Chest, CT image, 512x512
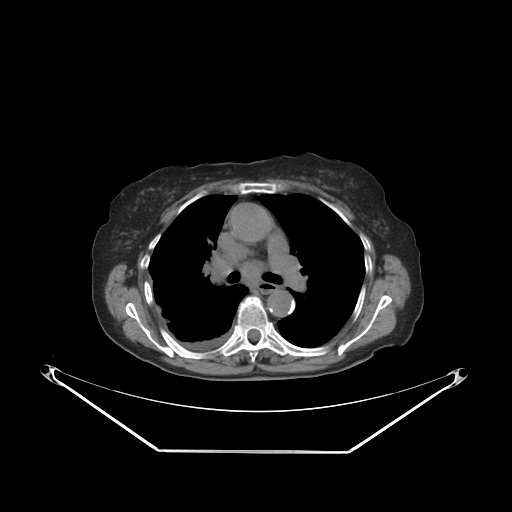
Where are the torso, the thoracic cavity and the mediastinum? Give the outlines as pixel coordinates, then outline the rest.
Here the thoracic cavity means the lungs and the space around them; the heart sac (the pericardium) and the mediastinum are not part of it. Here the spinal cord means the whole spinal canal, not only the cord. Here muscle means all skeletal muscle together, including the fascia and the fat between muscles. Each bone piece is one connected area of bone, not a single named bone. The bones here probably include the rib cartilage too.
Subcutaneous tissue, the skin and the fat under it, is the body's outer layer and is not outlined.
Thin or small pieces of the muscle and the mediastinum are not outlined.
{"torso":[[[301,151],[352,161],[364,167],[382,185],[391,210],[413,229],[420,251],[424,305],[405,344],[383,348],[348,369],[315,377],[216,381],[166,372],[130,354],[104,333],[91,298],[91,248],[96,231],[107,220],[110,201],[123,187],[168,165],[249,162]]],"thoracic_cavity":[[[209,194],[236,196],[225,214],[215,243],[225,261],[225,285],[239,284],[247,288],[248,292],[238,303],[235,323],[232,325],[232,331],[227,339],[213,349],[195,351],[180,345],[164,329],[153,307],[153,292],[147,269],[156,245],[175,218],[187,206]],[[277,193],[282,195],[302,193],[316,198],[339,216],[358,236],[363,247],[364,276],[351,314],[331,339],[318,346],[296,345],[287,340],[276,328],[278,322],[293,313],[296,307],[295,298],[287,288],[291,256],[289,238],[273,212],[258,198],[260,194]]],"mediastinum":[[[223,191],[234,191],[236,194],[259,193],[258,200],[272,212],[288,238],[290,256],[286,288],[294,298],[295,307],[276,325],[269,319],[257,295],[246,295],[248,288],[239,283],[226,285],[226,261],[216,242],[226,214],[237,196],[223,194]]],"bones":[{"outer":[[252,295],[261,300],[268,319],[290,343],[304,348],[331,344],[325,354],[316,356],[280,355],[262,348],[254,362],[245,349],[211,358],[176,353],[171,357],[125,310],[131,302],[161,345],[165,344],[161,327],[180,346],[205,352],[228,339],[239,303]],"hole":[[253,329],[254,329],[255,330],[257,330],[259,332],[259,333],[260,334],[260,336],[259,337],[259,339],[257,341],[256,341],[255,342],[252,342],[251,341],[250,341],[249,340],[249,339],[248,338],[248,332],[250,330],[252,330]]},[[255,181],[257,182],[269,182],[270,183],[282,183],[286,185],[287,187],[286,189],[283,189],[280,192],[277,192],[276,193],[260,193],[259,192],[236,193],[234,190],[229,190],[227,188],[227,186],[228,185],[230,184],[235,184],[239,182],[254,182]],[[383,295],[388,295],[391,298],[391,301],[385,307],[382,308],[378,312],[370,328],[357,340],[351,343],[340,355],[338,355],[337,353],[337,347],[340,344],[343,344],[350,339],[358,335],[367,326],[376,309],[376,307],[378,304],[378,302],[380,298]],[[360,233],[362,233],[365,236],[369,241],[369,243],[370,244],[370,250],[368,253],[371,258],[372,270],[371,271],[371,273],[369,274],[366,274],[365,273],[365,262],[364,261],[364,254],[365,253],[365,251],[364,250],[363,244],[359,237],[359,234]],[[363,284],[365,285],[365,295],[364,296],[364,299],[363,300],[362,307],[361,308],[361,310],[356,320],[355,321],[353,321],[352,320],[351,315],[355,307],[355,305],[357,302],[357,300],[358,299],[358,296],[359,295],[359,293],[360,292],[361,287]],[[204,189],[208,191],[208,194],[204,196],[202,196],[198,199],[195,200],[193,202],[190,203],[188,205],[187,205],[177,215],[176,215],[176,213],[177,212],[178,208],[184,202],[185,202],[187,200],[188,200],[190,198],[194,196],[201,190],[203,190]],[[318,197],[321,197],[325,200],[328,201],[333,205],[334,205],[347,218],[347,219],[351,223],[352,225],[352,228],[351,228],[340,217],[340,216],[337,213],[336,213],[331,208],[330,208],[328,206],[324,204],[321,201],[320,201],[317,198]],[[146,280],[147,281],[148,281],[149,282],[149,284],[150,285],[150,288],[151,289],[151,291],[152,292],[152,304],[151,305],[149,305],[147,303],[147,302],[146,301],[146,300],[145,299],[145,296],[144,295],[144,281],[145,281]],[[159,232],[160,232],[162,234],[161,235],[160,238],[158,240],[157,243],[155,245],[155,246],[154,247],[153,250],[150,250],[148,248],[148,245],[149,244],[150,241],[154,237],[154,236],[155,236],[156,235],[156,234],[157,234]],[[147,253],[148,254],[149,254],[150,255],[150,258],[149,259],[149,263],[148,264],[148,267],[146,269],[144,269],[143,268],[142,268],[141,267],[141,266],[140,265],[140,262],[141,261],[141,259],[143,257],[143,256],[145,254],[146,254]]],"muscle":[{"outer":[[267,178],[308,183],[340,200],[371,237],[377,261],[384,254],[400,259],[408,272],[411,289],[394,329],[322,369],[299,372],[254,369],[227,375],[199,373],[172,365],[127,338],[107,307],[104,288],[111,269],[119,263],[136,266],[139,254],[149,241],[147,248],[152,252],[145,253],[139,262],[148,279],[143,281],[143,295],[162,326],[159,333],[164,344],[151,335],[131,301],[125,304],[124,310],[146,337],[171,358],[176,354],[187,359],[211,359],[245,350],[254,363],[262,349],[280,356],[322,356],[332,346],[327,343],[349,318],[353,322],[357,320],[366,295],[364,277],[373,270],[370,241],[362,232],[358,235],[348,218],[328,200],[292,192],[282,182],[259,181]],"hole":[[383,295],[388,295],[391,298],[391,301],[385,307],[382,308],[378,312],[370,328],[357,340],[351,343],[340,355],[338,355],[337,353],[337,347],[340,344],[343,344],[350,339],[358,335],[367,326],[376,309],[376,307],[378,304],[378,302],[380,298]]},[[229,178],[240,178],[243,180],[254,181],[239,181],[230,183],[226,186],[228,190],[223,190],[221,193],[209,193],[207,189],[201,189],[177,208],[175,213],[176,216],[163,233],[160,231],[156,233],[158,231],[157,226],[160,214],[174,202],[200,185]]],"spinal_cord":[[[253,329],[254,329],[255,330],[257,330],[259,332],[259,333],[260,334],[260,336],[259,337],[259,339],[257,341],[256,341],[255,342],[252,342],[251,341],[250,341],[249,340],[249,339],[248,338],[248,332],[250,330],[252,330]]]}